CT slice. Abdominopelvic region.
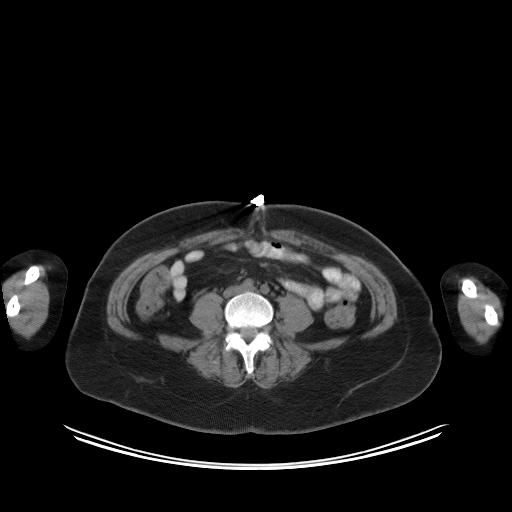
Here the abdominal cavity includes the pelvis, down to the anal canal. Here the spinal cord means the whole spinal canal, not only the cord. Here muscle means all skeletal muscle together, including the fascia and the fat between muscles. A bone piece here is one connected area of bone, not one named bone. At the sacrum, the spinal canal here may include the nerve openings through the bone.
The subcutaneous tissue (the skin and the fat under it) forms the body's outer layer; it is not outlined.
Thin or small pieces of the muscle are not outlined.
The left arm is outlined by [[463,260],[473,260],[489,266],[497,272],[508,285],[507,301],[503,316],[503,324],[499,331],[494,347],[490,355],[483,359],[477,359],[473,357],[470,357],[464,353],[456,344],[450,330],[441,298],[439,288],[439,282],[441,275],[450,265],[458,261]]. The right arm is outlined by [[37,247],[46,248],[53,251],[64,261],[68,272],[67,289],[63,302],[63,310],[59,325],[49,343],[37,351],[22,352],[19,350],[14,337],[10,331],[6,307],[4,306],[3,290],[1,288],[2,273],[0,267],[6,260],[15,254],[26,249]]. The abdominal cavity is outlined by [[238,238],[273,238],[340,262],[370,294],[365,325],[341,336],[301,341],[297,334],[314,321],[303,299],[287,293],[274,312],[265,296],[244,290],[223,307],[224,299],[214,291],[195,301],[188,319],[200,337],[135,329],[128,298],[146,271],[185,250]]. The muscle appears in 3 outlined pieces: piece 1: [[229,227],[255,232],[273,229],[293,229],[323,241],[343,252],[365,258],[372,262],[390,282],[396,299],[397,318],[393,325],[382,333],[370,338],[352,340],[339,347],[326,351],[309,369],[296,379],[282,382],[268,389],[258,386],[251,380],[238,387],[226,387],[214,380],[204,378],[181,359],[178,354],[170,350],[152,343],[132,340],[114,332],[107,322],[107,298],[114,280],[130,263],[150,251],[159,250],[186,237]]; inner edge: [[238,238],[273,238],[340,262],[370,294],[365,325],[301,341],[297,334],[314,317],[303,299],[287,293],[266,327],[272,343],[254,355],[250,374],[237,350],[224,349],[224,299],[214,291],[188,316],[200,337],[135,329],[128,298],[146,271],[185,250]]; piece 2: [[37,264],[47,264],[50,266],[48,286],[48,315],[42,326],[29,339],[15,337],[10,331],[8,319],[16,316],[19,313],[21,304],[18,295],[14,293],[4,306],[1,283],[17,271],[26,268],[23,284],[26,286],[35,282],[40,276],[41,269]]; piece 3: [[461,274],[468,274],[469,275],[472,275],[473,276],[476,277],[485,286],[488,287],[497,295],[497,296],[500,300],[500,302],[503,305],[503,324],[502,325],[500,330],[494,336],[491,337],[487,341],[487,342],[486,342],[483,344],[478,344],[477,343],[477,342],[465,331],[465,330],[460,321],[460,319],[459,318],[459,315],[458,314],[458,311],[457,310],[457,294],[456,293],[456,279],[457,278],[457,277]]; inner edges: [[469,278],[475,284],[475,285],[476,286],[476,291],[477,292],[477,296],[476,297],[475,297],[474,298],[472,298],[471,297],[468,297],[466,295],[465,295],[465,294],[462,291],[462,290],[461,289],[461,286],[462,285],[462,280],[463,279],[468,279]], then [[485,304],[489,304],[491,305],[494,308],[497,314],[497,317],[498,318],[498,321],[496,325],[490,325],[488,324],[488,323],[486,321],[485,319],[485,317],[484,316],[484,312],[485,311],[485,309],[484,308],[484,305]]. The bones appear in 5 outlined pieces: piece 1: [[244,291],[252,291],[262,295],[273,307],[273,317],[266,327],[272,339],[272,343],[268,349],[258,351],[254,355],[254,368],[250,374],[247,373],[243,357],[237,350],[231,349],[227,351],[224,349],[224,338],[228,331],[224,317],[224,307],[228,300]], around a hole outlined by [[247,327],[251,327],[252,328],[256,328],[257,329],[257,332],[256,333],[256,334],[254,336],[254,337],[250,341],[249,341],[248,342],[247,341],[246,341],[242,337],[242,336],[241,335],[241,334],[239,332],[239,330],[241,328],[246,328]]; piece 2: [[14,294],[16,294],[17,295],[17,297],[18,298],[18,301],[20,304],[20,307],[19,308],[19,311],[16,315],[15,315],[14,316],[12,316],[11,317],[8,317],[8,316],[6,313],[6,306],[7,305],[7,302],[9,300],[9,299]]; piece 3: [[469,278],[475,284],[475,285],[476,286],[476,291],[477,292],[477,296],[476,297],[475,297],[474,298],[472,298],[471,297],[468,297],[466,295],[465,295],[465,294],[462,291],[462,290],[461,289],[461,286],[462,285],[462,280],[463,279],[468,279]]; piece 4: [[33,264],[36,264],[39,266],[39,267],[40,268],[40,269],[39,270],[39,276],[38,277],[38,278],[35,281],[34,281],[29,284],[27,284],[26,285],[25,285],[24,284],[24,279],[25,278],[25,273],[26,272],[27,269],[31,265],[32,265]]; piece 5: [[485,304],[489,304],[491,305],[494,308],[497,314],[497,317],[498,318],[498,321],[496,325],[490,325],[488,324],[488,323],[486,321],[485,319],[485,317],[484,316],[484,312],[485,311],[485,309],[484,308],[484,305]]. The torso is outlined by [[211,199],[241,200],[250,204],[248,211],[264,202],[308,205],[346,217],[383,241],[419,278],[431,300],[442,354],[438,371],[427,389],[399,407],[297,434],[200,432],[80,392],[65,369],[64,348],[86,282],[103,254],[122,233],[144,218],[176,205]]. The spinal cord is outlined by [[247,327],[251,327],[252,328],[256,328],[257,329],[257,332],[256,333],[256,334],[254,336],[254,337],[250,341],[249,341],[248,342],[247,341],[246,341],[242,337],[242,336],[241,335],[241,334],[239,332],[239,330],[241,328],[246,328]].